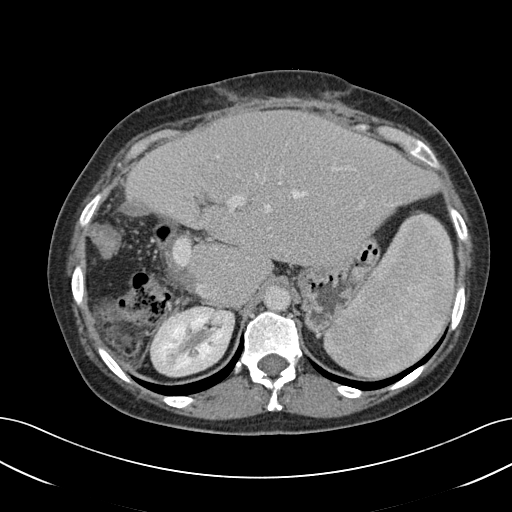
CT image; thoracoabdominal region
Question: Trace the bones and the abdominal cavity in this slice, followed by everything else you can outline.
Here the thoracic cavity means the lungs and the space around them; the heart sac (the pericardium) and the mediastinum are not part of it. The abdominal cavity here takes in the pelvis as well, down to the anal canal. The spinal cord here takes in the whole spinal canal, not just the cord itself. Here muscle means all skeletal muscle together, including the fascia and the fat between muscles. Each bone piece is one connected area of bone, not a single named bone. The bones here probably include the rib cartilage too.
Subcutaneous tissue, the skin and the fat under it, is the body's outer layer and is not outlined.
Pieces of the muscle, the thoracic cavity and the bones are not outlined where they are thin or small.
Answer: {"bones":[{"outer":[[264,311],[271,311],[293,320],[302,352],[302,356],[295,364],[295,378],[286,382],[278,390],[277,399],[282,406],[280,411],[269,411],[267,409],[271,390],[260,383],[253,382],[248,369],[244,365],[238,373],[233,372],[244,348],[244,332],[248,322]],"hole":[[269,354],[276,354],[277,355],[284,358],[287,363],[286,366],[283,369],[282,369],[278,373],[278,374],[277,375],[276,375],[275,376],[270,376],[266,372],[265,372],[263,370],[262,370],[258,366],[258,363],[259,362],[259,361],[263,357],[264,357]]},[[380,125],[386,125],[387,126],[397,128],[421,140],[429,147],[435,155],[436,158],[439,162],[440,167],[437,169],[433,168],[425,162],[409,153],[401,145],[400,145],[399,143],[387,140],[379,135],[374,130],[374,128],[376,126],[379,126]],[[165,128],[176,129],[179,131],[177,133],[173,135],[170,135],[167,137],[159,139],[155,142],[151,143],[144,151],[140,153],[136,157],[134,157],[130,160],[127,160],[125,158],[126,153],[130,149],[132,145],[133,145],[139,140],[148,136],[150,134]],[[460,282],[463,284],[464,289],[465,290],[465,303],[464,304],[463,313],[457,326],[453,330],[450,330],[449,329],[449,326],[451,321],[451,314],[452,313],[452,310],[454,305],[454,301],[456,297],[456,293],[457,292],[457,290],[459,286],[459,283]],[[78,264],[79,264],[81,266],[81,269],[82,270],[83,276],[84,277],[84,281],[83,282],[83,298],[82,299],[82,303],[80,306],[78,305],[74,300],[73,296],[72,295],[72,292],[71,291],[71,277],[72,276],[72,273],[75,266]],[[100,346],[104,348],[105,350],[113,358],[113,359],[117,363],[117,364],[129,376],[130,376],[133,381],[132,383],[128,383],[124,381],[121,378],[116,375],[106,365],[106,364],[103,361],[103,360],[99,355],[98,351],[97,350],[97,348]],[[448,205],[455,208],[461,215],[467,227],[467,231],[468,232],[468,238],[466,241],[462,241],[460,239],[459,239],[456,233],[456,230],[455,229],[455,227],[454,226],[454,224],[453,223],[452,218],[450,215],[450,213],[448,209]],[[100,192],[102,193],[102,196],[99,200],[99,202],[89,222],[87,224],[87,225],[83,227],[81,226],[79,224],[79,217],[81,214],[81,212],[82,210],[84,208],[86,204],[97,193],[99,193]],[[426,362],[427,362],[427,364],[424,368],[424,369],[420,373],[420,374],[411,382],[404,386],[402,386],[401,387],[399,387],[395,389],[388,389],[387,388],[388,386],[395,383],[397,381],[404,377],[407,374],[411,372],[414,369],[415,369],[420,365]],[[163,395],[167,395],[168,396],[190,396],[191,397],[192,397],[194,399],[194,401],[193,402],[188,404],[186,406],[185,406],[184,407],[182,407],[181,408],[180,408],[179,407],[174,407],[173,406],[171,406],[170,405],[165,403],[162,400],[162,396]],[[335,383],[337,383],[341,385],[345,385],[346,386],[349,386],[353,388],[356,388],[357,389],[362,390],[363,392],[362,394],[359,397],[356,397],[355,398],[352,398],[351,397],[346,397],[343,395],[341,395],[338,392],[338,391],[336,389],[336,385]]],"abdominal_cavity":[[[297,108],[368,135],[437,174],[457,236],[459,263],[446,331],[425,355],[395,375],[376,381],[343,377],[303,353],[292,291],[272,281],[261,291],[235,352],[221,369],[175,385],[129,375],[104,347],[84,297],[92,217],[122,174],[166,142],[215,121]]],"mediastinum":[[[272,282],[281,282],[282,284],[287,286],[291,291],[291,294],[293,297],[293,319],[290,317],[282,315],[277,312],[271,310],[264,310],[258,313],[250,319],[254,311],[254,308],[256,307],[256,305],[260,300],[260,296],[262,295],[262,291],[268,284]]],"spinal_cord":[[[269,354],[276,354],[277,355],[284,358],[287,363],[286,366],[283,369],[282,369],[278,373],[278,374],[277,375],[276,375],[275,376],[270,376],[266,372],[265,372],[263,370],[262,370],[258,366],[258,363],[259,362],[259,361],[263,357],[264,357]]],"muscle":[{"outer":[[288,95],[339,101],[403,125],[421,135],[435,151],[465,207],[473,236],[473,276],[462,332],[431,372],[377,404],[329,418],[281,411],[279,390],[296,378],[296,364],[303,354],[318,373],[335,382],[337,392],[346,398],[359,398],[363,391],[384,387],[395,390],[415,380],[448,328],[453,331],[464,313],[466,290],[459,281],[457,237],[466,242],[468,227],[460,212],[446,201],[434,171],[441,167],[436,155],[421,139],[402,129],[380,124],[373,130],[385,140],[399,144],[426,166],[410,161],[368,134],[301,107],[219,119],[146,153],[121,174],[96,210],[103,196],[101,191],[85,204],[78,217],[78,224],[87,226],[85,267],[83,272],[79,263],[74,266],[70,291],[80,307],[85,298],[103,345],[96,348],[97,353],[124,382],[135,381],[161,394],[165,404],[181,409],[195,401],[189,395],[217,384],[232,371],[238,374],[244,366],[253,383],[270,390],[268,411],[214,420],[174,413],[138,399],[102,372],[86,355],[79,340],[66,274],[77,210],[111,159],[137,134],[162,123],[232,105],[236,100]],"holes":[[[165,128],[176,129],[179,131],[177,133],[173,135],[170,135],[167,137],[159,139],[155,142],[151,143],[144,151],[140,153],[136,157],[134,157],[130,160],[127,160],[125,158],[126,153],[130,149],[132,145],[133,145],[139,140],[148,136],[150,134]],[[360,123],[363,123],[364,124],[368,124],[370,126],[370,129],[369,129],[368,130],[366,130],[365,131],[362,131],[361,130],[359,130],[358,129],[356,129],[355,128],[354,128],[354,126],[356,124],[359,124]]]}],"torso":[[[272,69],[329,72],[395,98],[425,116],[450,143],[479,196],[490,237],[489,276],[470,340],[452,375],[435,393],[391,416],[355,426],[302,434],[229,435],[184,430],[126,415],[87,386],[51,305],[47,257],[59,210],[103,137],[134,109],[180,89]]],"thoracic_cavity":[[[242,336],[243,337],[243,348],[232,370],[223,379],[205,389],[188,395],[168,395],[158,393],[149,389],[141,385],[131,377],[133,376],[154,384],[165,386],[175,386],[201,380],[221,370],[230,361],[236,352],[240,342],[240,338]],[[444,334],[443,339],[437,349],[425,362],[420,364],[395,382],[389,385],[375,389],[363,390],[331,380],[318,372],[309,360],[311,360],[324,370],[343,378],[360,382],[376,382],[390,378],[392,376],[395,376],[410,366],[415,364],[432,349]]]}